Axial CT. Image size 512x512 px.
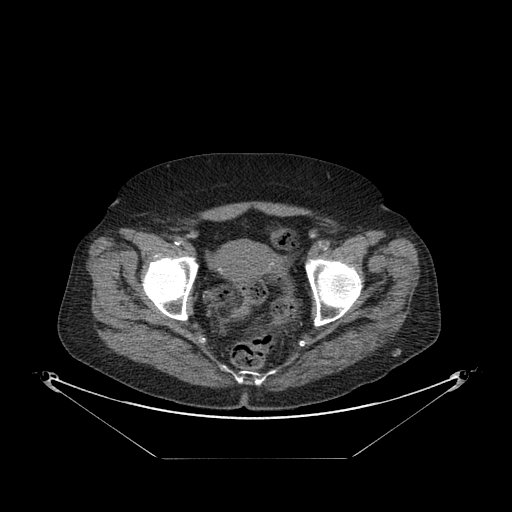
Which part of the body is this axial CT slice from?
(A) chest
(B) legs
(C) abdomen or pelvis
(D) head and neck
Answer: (C) abdomen or pelvis
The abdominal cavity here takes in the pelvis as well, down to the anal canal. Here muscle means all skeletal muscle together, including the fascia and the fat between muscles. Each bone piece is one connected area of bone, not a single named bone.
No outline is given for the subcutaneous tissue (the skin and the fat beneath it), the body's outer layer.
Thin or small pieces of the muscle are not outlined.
Outlines (x, y in pixels):
bones 1: 309 258; 320 258; 328 260; 338 260; 347 264; 352 265; 355 268; 357 273; 362 280; 362 288; 360 294; 349 309; 341 317; 331 322; 319 326; 314 326; 313 325; 313 320; 316 314; 316 306; 304 267; 306 260
bones 2: 157 253; 161 254; 162 256; 168 256; 172 258; 181 256; 193 256; 195 257; 196 261; 199 265; 192 288; 186 301; 186 312; 188 315; 187 320; 174 319; 162 313; 153 302; 148 298; 144 292; 141 280; 150 261; 154 259; 153 256
bones 3: 219 364; 225 364; 235 371; 238 371; 239 370; 251 370; 252 371; 257 371; 260 373; 263 373; 272 368; 277 369; 277 371; 274 374; 268 375; 262 383; 258 386; 253 383; 243 383; 240 384; 236 381; 231 373; 221 370; 219 368
abdominal cavity: 250 209; 280 217; 307 216; 315 219; 323 232; 319 241; 308 250; 303 265; 310 288; 310 321; 293 350; 277 365; 264 371; 232 368; 225 363; 212 349; 194 311; 194 283; 200 265; 196 250; 189 241; 190 232; 201 221; 225 221
torso: 210 152; 306 155; 353 169; 376 184; 385 204; 408 220; 432 255; 441 310; 436 341; 375 382; 329 401; 283 410; 248 410; 244 406; 221 410; 178 404; 134 390; 74 359; 62 346; 56 325; 77 243; 100 221; 129 178; 162 162
muscle: 243 201; 305 207; 333 218; 393 228; 406 234; 418 251; 419 283; 409 313; 393 337; 371 355; 338 372; 279 391; 251 385; 220 388; 195 385; 110 352; 96 333; 91 312; 91 280; 86 269; 91 243; 106 230; 156 229; 199 211, around a hole outlined by 250 209; 315 219; 323 233; 305 259; 344 262; 362 280; 349 309; 323 325; 313 325; 311 296; 301 339; 258 386; 219 368; 225 363; 194 311; 193 285; 188 319; 178 320; 156 307; 141 281; 157 253; 197 255; 189 241; 197 223